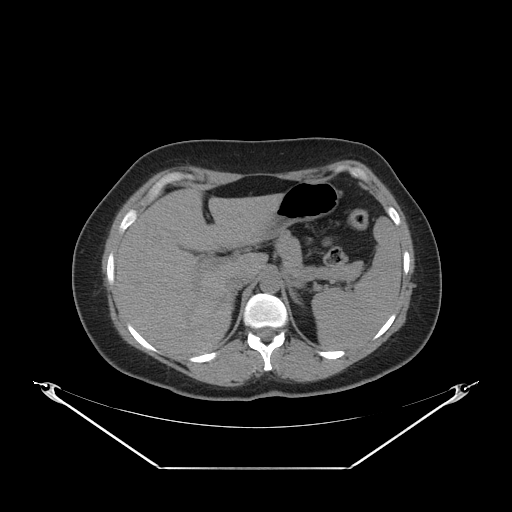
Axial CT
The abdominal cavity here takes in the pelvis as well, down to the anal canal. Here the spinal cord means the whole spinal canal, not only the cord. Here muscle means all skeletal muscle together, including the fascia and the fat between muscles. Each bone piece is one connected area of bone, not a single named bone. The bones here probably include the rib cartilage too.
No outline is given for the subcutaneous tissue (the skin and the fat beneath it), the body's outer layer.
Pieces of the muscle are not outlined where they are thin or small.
{"spinal_cord":[[[263,327],[271,327],[272,328],[273,328],[276,330],[276,333],[273,336],[273,337],[271,339],[271,340],[268,342],[264,342],[263,341],[262,341],[261,340],[261,339],[256,334],[256,333],[255,332],[257,329],[258,329],[259,328],[262,328]]],"muscle":[{"outer":[[345,159],[356,160],[366,165],[370,168],[377,177],[388,188],[394,196],[405,216],[405,219],[408,225],[408,228],[412,239],[413,249],[414,250],[414,258],[415,259],[415,266],[414,267],[415,269],[415,286],[411,295],[409,307],[406,313],[406,320],[404,324],[397,331],[394,332],[386,341],[375,350],[365,357],[348,366],[342,371],[324,379],[316,381],[309,381],[308,382],[284,381],[283,380],[277,380],[272,377],[271,375],[265,374],[255,380],[251,379],[243,385],[235,386],[234,387],[225,387],[224,386],[214,385],[199,381],[171,367],[169,367],[167,365],[158,361],[151,356],[147,355],[135,347],[130,345],[119,335],[118,332],[114,327],[112,320],[110,317],[106,290],[103,285],[103,275],[101,269],[102,255],[104,251],[106,239],[117,212],[127,199],[152,175],[166,168],[174,166],[180,166],[181,165],[192,165],[211,170],[233,172],[234,173],[247,173],[248,172],[257,172],[258,171],[262,171],[263,172],[285,172],[286,171],[292,171],[293,170],[299,170],[311,167],[322,166],[329,163]],"hole":[[339,165],[362,169],[369,180],[357,179],[385,210],[389,206],[396,210],[401,249],[409,254],[409,269],[402,276],[392,312],[395,318],[380,336],[370,337],[346,349],[342,356],[329,359],[319,355],[319,349],[298,335],[289,318],[283,344],[270,355],[272,367],[268,371],[264,370],[261,354],[248,345],[249,329],[242,319],[229,340],[215,350],[216,356],[204,362],[160,350],[155,352],[133,337],[118,303],[115,284],[108,282],[107,260],[111,252],[116,255],[123,235],[119,225],[124,215],[130,209],[138,213],[144,209],[146,206],[141,201],[158,179],[177,171],[193,176],[169,183],[162,191],[182,187],[205,190],[248,176],[317,183],[342,173],[334,170]]}],"mediastinum":[[[267,273],[269,274],[275,274],[278,276],[279,278],[279,282],[280,283],[280,298],[278,296],[274,294],[269,293],[268,292],[257,292],[256,293],[254,293],[252,294],[254,292],[254,290],[256,286],[258,284],[262,276]]],"torso":[[[314,136],[348,139],[374,148],[387,160],[425,214],[439,252],[442,290],[437,321],[423,348],[401,367],[349,390],[299,398],[269,396],[251,401],[184,397],[110,365],[95,349],[79,319],[72,293],[71,266],[81,228],[120,176],[147,151],[172,142]]],"abdominal_cavity":[[[343,172],[357,178],[381,204],[397,226],[401,242],[399,297],[372,337],[345,350],[312,346],[291,324],[279,276],[268,272],[246,301],[229,340],[213,351],[171,355],[128,321],[116,295],[116,252],[138,213],[161,191],[205,190],[248,176],[317,183]]],"bones":[{"outer":[[257,293],[268,293],[278,297],[286,308],[288,318],[288,321],[284,327],[285,338],[283,344],[276,347],[272,351],[269,358],[272,367],[268,371],[264,370],[264,361],[261,354],[248,345],[247,333],[249,329],[243,323],[243,313],[246,303],[252,295]],"hole":[[263,327],[271,327],[272,328],[273,328],[276,330],[276,333],[273,336],[273,337],[271,339],[271,340],[268,342],[264,342],[263,341],[262,341],[261,340],[261,339],[256,334],[256,333],[255,332],[257,329],[258,329],[259,328],[262,328]]},[[177,171],[178,172],[183,172],[184,173],[191,174],[193,176],[192,179],[182,179],[179,181],[169,183],[167,184],[159,192],[159,193],[149,202],[148,204],[146,205],[142,204],[141,202],[142,199],[145,196],[151,186],[158,179],[170,172],[176,172]],[[339,165],[348,165],[349,166],[355,166],[356,167],[358,167],[362,169],[367,174],[369,178],[369,180],[367,182],[366,182],[357,177],[354,177],[352,175],[351,175],[346,170],[344,170],[343,171],[340,171],[339,172],[336,172],[334,170],[334,169]],[[128,322],[140,334],[140,335],[141,336],[142,336],[150,344],[151,344],[155,348],[156,348],[159,351],[159,352],[155,352],[152,350],[147,349],[145,347],[144,347],[142,345],[141,345],[133,337],[133,336],[128,330],[128,329],[127,328],[127,323]],[[130,209],[135,209],[137,211],[137,216],[136,217],[135,220],[131,224],[130,224],[126,228],[126,229],[123,232],[123,233],[121,233],[119,231],[119,225],[120,224],[120,223],[121,222],[121,221],[122,220],[122,219],[123,218],[124,215]],[[111,252],[112,252],[113,253],[113,255],[114,256],[114,282],[113,283],[113,284],[112,284],[111,285],[108,282],[108,280],[107,279],[107,276],[106,275],[106,272],[107,271],[107,260],[108,259],[108,256],[109,255],[109,254]],[[214,351],[216,351],[217,352],[217,354],[216,356],[213,359],[209,361],[205,361],[204,362],[193,362],[192,361],[190,361],[188,359],[189,357],[191,356],[196,356],[197,355],[200,355],[204,353],[209,353],[210,352],[213,352]],[[320,350],[321,351],[329,351],[330,350],[331,351],[332,350],[343,350],[345,352],[345,353],[342,356],[341,356],[338,358],[336,358],[335,359],[329,359],[328,358],[326,358],[325,357],[323,357],[322,356],[319,355],[317,353],[317,351],[319,351]],[[392,313],[394,313],[395,314],[395,318],[392,322],[392,323],[390,325],[390,326],[380,336],[379,336],[375,339],[373,339],[372,338],[373,337],[373,336],[379,330],[379,329],[383,325],[383,324],[387,320],[387,319]],[[389,206],[391,206],[392,207],[393,207],[396,210],[396,211],[398,213],[398,214],[399,215],[399,218],[400,219],[400,223],[398,225],[396,225],[394,223],[394,222],[393,221],[393,220],[388,215],[388,214],[386,212],[386,208],[387,207],[388,207]],[[405,250],[406,250],[408,252],[408,253],[409,254],[409,269],[408,270],[408,272],[405,275],[404,274],[404,272],[403,271],[403,252]]]}